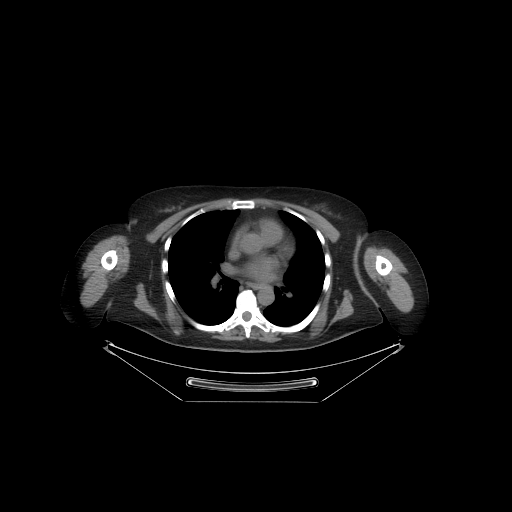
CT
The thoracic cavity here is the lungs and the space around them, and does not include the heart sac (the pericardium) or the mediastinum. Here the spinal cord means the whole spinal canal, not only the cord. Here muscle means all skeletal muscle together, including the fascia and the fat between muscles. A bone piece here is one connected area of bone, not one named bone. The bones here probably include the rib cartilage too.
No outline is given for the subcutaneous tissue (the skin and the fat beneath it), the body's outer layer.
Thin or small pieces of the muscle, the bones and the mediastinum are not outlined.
{"pericardium":[[[258,215],[271,215],[280,219],[291,232],[295,239],[296,243],[295,253],[289,260],[285,271],[281,275],[281,277],[278,281],[261,282],[242,278],[232,274],[226,263],[227,262],[226,253],[228,250],[228,246],[232,234],[239,224],[251,217]]],"muscle":[[[230,197],[236,198],[233,200],[224,200],[210,207],[200,207],[181,221],[177,231],[172,236],[169,235],[163,243],[163,250],[166,253],[167,252],[167,258],[164,257],[161,259],[160,262],[160,268],[161,269],[161,271],[168,276],[168,279],[164,281],[164,288],[168,297],[173,303],[177,301],[189,316],[187,319],[188,322],[195,329],[208,333],[221,333],[241,326],[246,339],[221,340],[194,334],[176,335],[172,332],[170,333],[156,319],[139,310],[133,303],[136,296],[136,285],[139,282],[144,284],[147,291],[149,289],[152,290],[155,295],[160,295],[162,292],[160,279],[160,247],[161,244],[159,241],[154,243],[148,242],[145,239],[145,235],[160,222],[181,209],[206,201]],[[256,197],[286,201],[312,209],[323,216],[340,233],[340,237],[336,242],[329,243],[333,262],[332,289],[334,292],[341,287],[348,289],[351,292],[353,296],[352,305],[354,308],[354,312],[351,315],[336,321],[327,330],[312,339],[283,337],[282,339],[274,342],[249,339],[253,326],[261,329],[266,333],[278,332],[288,334],[303,330],[313,320],[320,309],[321,303],[318,301],[318,299],[322,291],[326,292],[330,286],[331,274],[329,272],[326,272],[326,268],[329,268],[332,263],[330,254],[327,251],[323,251],[322,246],[325,244],[325,238],[323,234],[319,229],[314,229],[308,223],[307,218],[303,214],[288,206],[284,206],[282,209],[257,206],[257,203],[252,198]],{"outer":[[117,234],[125,235],[131,240],[129,268],[123,277],[118,279],[109,285],[102,297],[93,306],[91,307],[84,307],[80,302],[80,294],[83,287],[83,284],[81,281],[79,274],[80,268],[84,262],[88,252],[92,249],[95,244],[105,238]],"hole":[[111,249],[114,249],[116,251],[116,254],[117,255],[117,262],[116,263],[116,264],[115,265],[115,266],[112,269],[111,269],[110,270],[107,270],[106,269],[105,269],[101,265],[101,257],[102,256],[102,255],[106,251],[107,251],[108,250],[110,250]]},{"outer":[[369,244],[373,244],[377,246],[385,246],[389,248],[399,257],[407,268],[408,270],[408,283],[412,290],[412,293],[414,297],[414,306],[411,311],[407,313],[403,313],[399,311],[390,301],[386,294],[382,291],[368,276],[363,266],[363,252],[365,247]],"hole":[[376,255],[381,255],[382,256],[383,256],[384,257],[387,258],[390,261],[390,262],[392,265],[392,268],[388,274],[387,274],[384,276],[383,275],[381,275],[380,274],[379,274],[378,273],[378,272],[376,270],[376,269],[375,268],[375,258],[376,257]]}],"spinal_cord":[[[245,312],[246,312],[247,312],[248,312],[249,312],[250,313],[250,314],[250,315],[250,316],[250,317],[250,318],[249,319],[248,319],[247,320],[246,320],[245,320],[244,319],[243,318],[243,317],[242,316],[242,315],[243,314],[243,313],[244,313]]],"bones":[{"outer":[[246,289],[255,295],[264,317],[278,326],[294,325],[305,318],[317,302],[320,306],[312,320],[303,329],[295,332],[266,332],[255,325],[251,327],[248,338],[241,325],[221,332],[203,331],[195,328],[189,318],[204,325],[222,323],[233,313],[238,293]],"hole":[[245,312],[246,312],[247,312],[248,312],[249,312],[250,313],[250,314],[250,315],[250,316],[250,317],[250,318],[249,319],[248,319],[247,320],[246,320],[245,320],[244,319],[243,318],[243,317],[242,316],[242,315],[243,314],[243,313],[244,313]]},[[236,199],[252,199],[256,203],[256,207],[255,207],[254,208],[239,208],[238,209],[237,208],[236,209],[226,209],[225,208],[224,208],[223,209],[217,209],[216,208],[214,208],[213,207],[211,207],[212,207],[219,203],[221,203],[224,201],[233,201]],[[111,249],[114,249],[116,251],[116,254],[117,255],[117,262],[116,263],[116,264],[115,265],[115,266],[112,269],[111,269],[110,270],[107,270],[106,269],[105,269],[101,265],[101,257],[102,256],[102,255],[106,251],[107,251],[108,250],[110,250]],[[376,255],[381,255],[382,256],[383,256],[384,257],[387,258],[390,261],[390,262],[392,265],[392,268],[388,274],[387,274],[384,276],[383,275],[381,275],[380,274],[379,274],[378,273],[378,272],[376,270],[376,269],[375,268],[375,258],[376,257]],[[200,208],[210,208],[209,209],[209,210],[208,210],[203,213],[201,213],[198,215],[196,215],[195,216],[194,216],[181,226],[181,223],[182,222],[182,221],[187,216],[188,216],[190,214],[191,214],[193,212],[194,212],[196,210],[197,210]],[[166,280],[168,280],[168,281],[170,283],[170,285],[172,288],[172,290],[175,296],[175,299],[176,300],[175,302],[173,302],[171,300],[171,299],[169,297],[167,293],[167,291],[165,288],[165,281]],[[284,207],[288,207],[289,208],[290,208],[291,209],[292,209],[293,210],[300,213],[306,218],[306,219],[307,220],[307,222],[304,221],[302,219],[301,219],[296,215],[295,215],[294,214],[292,214],[287,211],[285,211],[284,210],[283,210],[283,208]],[[326,273],[329,273],[330,274],[330,283],[329,284],[329,286],[328,287],[328,288],[327,289],[327,290],[326,291],[323,291],[322,290],[322,288],[323,287],[323,282],[324,281],[324,278],[325,277],[325,274]],[[164,258],[166,258],[167,259],[167,268],[168,269],[167,270],[167,273],[164,273],[162,271],[162,269],[161,268],[161,262],[162,261],[162,259],[163,259]],[[326,252],[327,252],[329,254],[329,255],[330,256],[330,258],[331,259],[331,263],[330,264],[330,265],[329,266],[329,267],[326,267],[326,266],[325,265],[325,258],[324,257],[324,253],[325,253]],[[169,236],[170,236],[171,237],[172,237],[171,238],[171,241],[170,242],[170,243],[169,244],[169,247],[168,248],[168,250],[166,252],[164,250],[164,243],[165,242],[165,241],[166,240],[166,239]],[[316,229],[317,229],[320,231],[320,232],[322,234],[322,235],[324,238],[324,244],[323,245],[322,245],[321,244],[321,242],[320,241],[320,240],[319,239],[319,238],[318,237],[318,236],[317,235],[317,234],[315,231],[315,230]]],"thoracic_cavity":[[[224,209],[238,210],[225,239],[223,249],[224,258],[221,264],[225,269],[225,273],[231,279],[238,282],[238,292],[235,298],[233,311],[229,317],[216,324],[204,324],[190,317],[176,299],[175,293],[169,281],[168,251],[173,236],[187,222],[208,211]],[[281,210],[296,216],[307,223],[314,230],[322,248],[325,266],[325,273],[322,282],[321,292],[316,303],[305,317],[291,325],[275,324],[267,319],[262,312],[275,300],[274,288],[282,285],[284,274],[297,251],[296,238],[290,227],[280,215]]],"torso":[[[186,184],[302,186],[330,191],[355,203],[364,212],[368,223],[368,230],[355,250],[355,270],[382,322],[310,349],[244,353],[175,346],[133,327],[107,321],[104,317],[108,307],[124,287],[134,260],[133,239],[121,222],[126,219],[128,207],[149,191]]],"mediastinum":[[[257,207],[280,210],[279,215],[291,231],[274,215],[251,216],[231,234],[225,263],[232,275],[249,281],[278,282],[283,274],[281,285],[273,288],[274,300],[262,311],[254,292],[249,288],[239,291],[239,282],[231,278],[222,265],[226,239],[239,209]]],"left_arm":[[[376,229],[385,229],[393,232],[410,247],[420,263],[427,282],[429,293],[428,316],[425,324],[421,329],[411,335],[400,335],[390,325],[385,317],[383,319],[370,299],[357,274],[355,262],[355,254],[357,247],[364,235],[369,230],[372,231]]],"right_arm":[[[113,222],[120,222],[127,229],[132,239],[133,243],[133,260],[132,264],[123,287],[107,307],[106,312],[100,323],[95,327],[92,327],[88,329],[82,329],[71,324],[62,314],[59,307],[60,288],[68,268],[81,243],[88,235],[97,228],[105,224]]]}